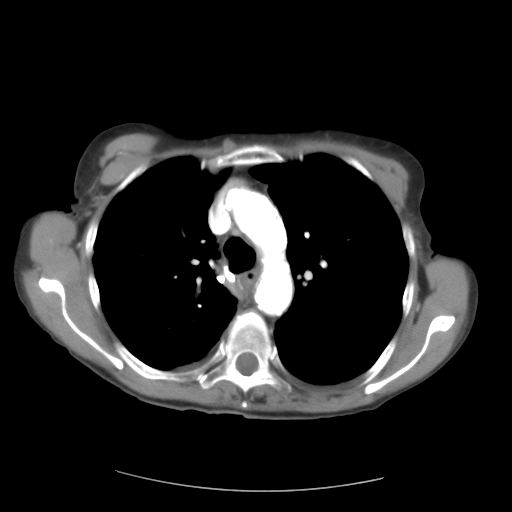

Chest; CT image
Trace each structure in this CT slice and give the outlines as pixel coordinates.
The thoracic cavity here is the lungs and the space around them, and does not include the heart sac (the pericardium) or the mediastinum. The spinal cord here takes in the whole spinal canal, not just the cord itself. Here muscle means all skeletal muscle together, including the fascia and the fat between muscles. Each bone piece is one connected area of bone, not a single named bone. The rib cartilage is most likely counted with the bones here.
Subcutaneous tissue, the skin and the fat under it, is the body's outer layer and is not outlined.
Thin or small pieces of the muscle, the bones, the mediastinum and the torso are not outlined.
Outlines (x, y in pixels):
muscle: 136,132 143,132 160,136 161,140 156,147 158,150 182,145 219,145 225,138 230,138 237,143 270,142 273,144 281,144 299,137 327,136 334,140 363,147 370,151 393,158 398,161 407,170 409,174 408,190 405,199 405,205 407,210 411,214 413,218 413,224 419,233 418,280 422,291 423,292 426,289 426,281 423,268 430,258 441,257 457,261 465,267 469,274 470,281 468,297 468,317 463,332 459,339 446,357 423,377 371,403 339,411 331,412 258,411 239,409 229,406 203,405 184,400 161,399 150,397 141,394 126,386 104,368 82,357 70,349 40,321 34,313 32,306 26,295 21,281 20,270 28,263 30,229 32,222 39,216 51,212 62,213 70,216 77,222 77,238 78,239 80,238 90,218 90,212 95,209 93,206 94,198 101,189 96,184 96,177 101,170 98,161 103,153 104,146 110,140 118,136; inner edge: 254,143 269,145 287,160 317,152 342,160 354,157 371,174 399,222 412,230 414,257 408,260 406,279 414,283 411,306 393,334 396,345 391,356 371,382 394,373 420,351 434,317 455,317 446,331 430,336 424,353 409,369 374,392 364,392 360,374 334,386 311,385 291,376 287,393 269,384 244,393 224,379 202,388 196,380 146,378 125,363 118,369 76,333 62,314 60,296 38,284 42,276 59,280 72,321 118,357 114,342 119,338 89,293 88,275 94,264 93,256 86,255 85,239 90,222 100,223 117,186 143,163 151,167 181,156 200,161
bones 1: 42,276 61,282 69,317 103,349 118,357 118,340 139,360 164,371 201,365 234,316 252,310 270,332 291,390 262,384 244,393 224,379 202,388 196,380 146,378 125,363 118,369 72,329 60,296 40,288, around a hole outlined by 244,353 250,353 251,354 252,354 256,358 256,359 257,360 257,368 255,370 254,370 250,374 244,374 243,373 242,373 236,367 236,361 237,360 237,359 238,358 238,357 240,355 241,355 242,354 243,354
bones 2: 442,314 453,315 453,324 446,331 436,331 430,336 424,353 409,369 378,390 366,394 365,385 361,383 364,378 361,375 376,361 390,340 396,337 395,348 382,369 370,381 381,380 406,365 420,351 430,322
bones 3: 254,143 269,145 287,160 285,162 281,163 271,162 270,163 261,163 255,165 238,165 237,166 226,167 213,172 211,172 206,168 204,169 200,168 200,161 204,158 210,159 218,155 227,154 243,145 249,145
bones 4: 93,219 96,219 98,221 98,227 97,228 97,232 96,233 96,236 95,237 95,240 93,245 93,254 90,257 88,257 86,255 86,253 85,252 85,239 86,238 86,233 88,229 88,226 90,222
bones 5: 409,279 411,279 414,283 413,298 412,299 412,302 411,303 411,306 409,309 409,311 406,317 405,318 403,318 402,317 402,298 403,297 403,294 404,293 404,290 405,289 405,286 406,285 406,283
bones 6: 90,272 93,272 94,273 94,276 95,277 96,283 97,284 98,290 99,291 100,305 101,306 100,307 100,310 99,312 98,312 95,309 92,303 92,301 90,297 90,294 89,293 89,289 88,288 88,275
bones 7: 403,222 406,222 410,226 413,234 414,246 415,247 414,248 414,257 411,260 409,259 408,253 407,252 407,250 405,246 405,243 404,242 404,239 403,238 403,233 402,232 402,227 401,226 401,224
bones 8: 146,162 148,163 148,165 149,166 148,168 140,175 136,177 121,191 120,191 114,196 113,196 114,191 117,187 117,186 128,175 128,174 129,174 136,167
bones 9: 346,156 351,156 357,159 368,170 368,171 371,174 371,175 373,177 373,181 369,179 366,176 365,176 361,172 357,170 354,167 353,167 351,165 348,164 345,161 344,161 343,160 343,158
mediastinum: 238,166 252,166 249,173 268,185 268,193 281,215 286,232 286,257 294,291 291,304 275,323 272,336 265,320 256,311 250,309 236,313 236,298 218,279 220,254 208,227 208,209 214,192 226,179 231,167
thoracic cavity 1: 317,152 341,159 378,186 400,223 408,257 401,317 392,337 365,371 334,386 311,385 292,377 272,339 276,323 292,304 295,288 287,257 288,238 282,215 269,193 269,185 250,173 256,165 302,161 304,156
thoracic cavity 2: 181,156 195,158 201,170 206,169 216,177 221,170 230,168 213,192 206,223 219,254 217,279 235,298 236,310 216,349 205,361 189,369 164,370 135,356 112,329 102,309 93,255 99,224 111,200 150,167
torso: 130,121 193,137 329,127 404,146 424,170 420,209 432,248 466,259 476,272 478,307 468,337 415,387 374,410 332,418 180,411 140,401 102,379 29,317 14,288 12,261 30,214 70,209 76,166 92,138
spinal cord: 244,353 250,353 251,354 252,354 256,358 256,359 257,360 257,368 255,370 254,370 250,374 244,374 243,373 242,373 236,367 236,361 237,360 237,359 238,358 238,357 240,355 241,355 242,354 243,354